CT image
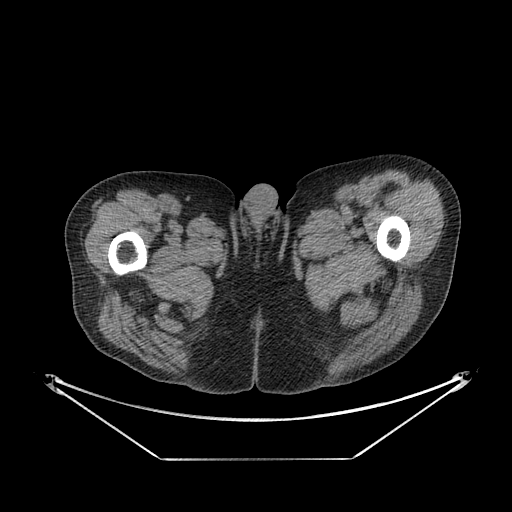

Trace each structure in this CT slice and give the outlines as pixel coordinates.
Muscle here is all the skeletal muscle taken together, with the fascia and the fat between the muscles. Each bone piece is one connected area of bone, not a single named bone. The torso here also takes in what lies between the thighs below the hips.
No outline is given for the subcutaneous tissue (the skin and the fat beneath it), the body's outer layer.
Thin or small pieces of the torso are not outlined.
Outlined structures:
torso: [[259,182],[266,182],[273,185],[278,192],[278,196],[279,197],[278,202],[280,207],[283,209],[285,206],[285,208],[283,211],[281,219],[279,222],[273,240],[260,267],[256,272],[252,259],[240,231],[240,198],[244,195],[250,187],[254,184]]
right leg: [[149,169],[209,175],[226,184],[236,199],[239,199],[239,231],[257,275],[258,286],[255,375],[254,385],[248,391],[229,395],[207,394],[193,391],[184,385],[153,381],[98,351],[75,318],[71,274],[64,245],[66,218],[81,194],[96,182],[124,171]]
left leg: [[389,152],[410,154],[435,166],[451,182],[460,202],[461,228],[455,264],[450,288],[440,313],[408,353],[366,378],[348,385],[326,386],[297,395],[261,393],[254,386],[259,312],[257,272],[274,240],[287,201],[294,192],[295,183],[305,174],[325,165]]
muscle 1: [[387,168],[428,177],[439,190],[443,204],[443,232],[420,283],[423,289],[421,312],[411,330],[388,353],[344,375],[328,376],[326,365],[330,346],[326,319],[312,308],[294,274],[292,250],[296,230],[309,211],[332,196],[341,185],[356,183],[363,175]], around a hole outlined by [[392,214],[396,214],[402,217],[407,222],[409,227],[409,231],[410,232],[410,242],[409,243],[408,250],[406,254],[399,261],[392,261],[382,256],[378,251],[376,246],[376,243],[375,242],[376,241],[376,231],[381,221],[383,218],[386,216],[388,216]]
muscle 2: [[133,187],[173,194],[191,211],[211,216],[226,232],[226,264],[200,335],[187,352],[187,361],[191,367],[183,375],[168,373],[147,364],[134,354],[107,341],[97,329],[96,277],[85,262],[79,245],[84,222],[93,202],[97,199],[114,191]], around a hole outlined by [[129,230],[134,230],[136,231],[143,239],[143,241],[146,246],[146,249],[147,250],[147,263],[142,269],[132,271],[123,275],[117,275],[114,273],[108,261],[107,252],[108,251],[109,244],[113,237],[114,237],[117,234],[121,232],[128,231]]
bones 1: [[129,230],[134,230],[136,231],[143,239],[143,241],[146,246],[146,249],[147,250],[147,263],[142,269],[132,271],[123,275],[117,275],[114,273],[108,261],[107,252],[108,251],[109,244],[113,237],[114,237],[117,234],[121,232],[128,231]]
bones 2: [[392,214],[396,214],[402,217],[407,222],[409,227],[409,231],[410,232],[410,242],[409,243],[408,250],[406,254],[399,261],[392,261],[382,256],[378,251],[376,246],[376,243],[375,242],[376,241],[376,231],[381,221],[383,218],[386,216],[388,216]]